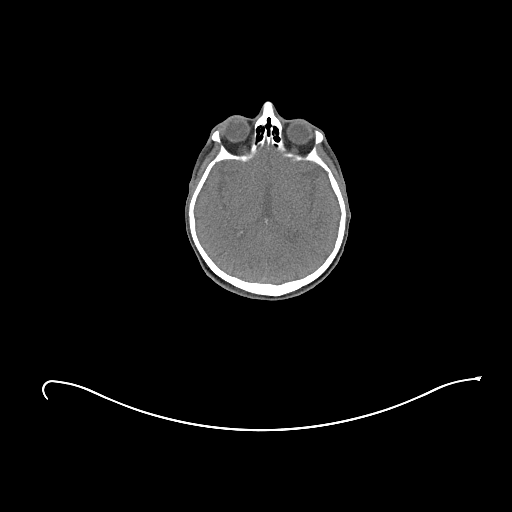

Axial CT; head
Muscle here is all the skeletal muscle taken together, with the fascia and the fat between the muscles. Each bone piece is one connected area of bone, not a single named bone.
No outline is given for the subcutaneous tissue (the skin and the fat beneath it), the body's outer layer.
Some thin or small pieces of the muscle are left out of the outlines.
The bones are outlined by (266, 101) (281, 121) (288, 151) (303, 155) (314, 145) (314, 131) (323, 134) (316, 151) (337, 182) (346, 212) (344, 236) (328, 267) (311, 282) (281, 295) (248, 292) (215, 274) (189, 229) (191, 197) (220, 148) (211, 134) (219, 130) (230, 152) (247, 152) (256, 116) with a hole at (265, 146) (273, 147) (276, 152) (281, 153) (285, 158) (293, 162) (308, 161) (321, 167) (326, 173) (339, 209) (333, 246) (323, 261) (307, 274) (280, 283) (251, 281) (228, 273) (206, 251) (198, 237) (196, 229) (196, 201) (212, 168) (218, 162) (226, 160) (246, 163). The head is outlined by (266, 101) (270, 101) (282, 117) (287, 119) (304, 118) (324, 132) (340, 164) (351, 210) (349, 235) (345, 248) (331, 273) (305, 293) (279, 301) (242, 297) (215, 283) (200, 266) (188, 241) (184, 225) (184, 204) (191, 172) (211, 128) (230, 115) (255, 117). The muscle appears in 2 outlined pieces: piece 1: (320, 143) (321, 143) (324, 150) (333, 162) (338, 172) (340, 180) (342, 183) (343, 190) (344, 191) (344, 196) (346, 202) (346, 210) (347, 213) (346, 211) (345, 201) (342, 195) (338, 182) (336, 180) (331, 169) (319, 155) (317, 151) (317, 145); piece 2: (214, 142) (216, 142) (219, 144) (219, 148) (218, 149) (218, 151) (216, 153) (214, 157) (205, 167) (198, 182) (195, 186) (195, 188) (190, 197) (190, 199) (190, 196) (191, 195) (191, 189) (193, 185) (193, 182) (197, 175) (197, 172) (203, 160) (211, 150). The brain is outlined by (265, 146) (273, 147) (276, 152) (281, 153) (285, 158) (293, 162) (308, 161) (321, 167) (326, 173) (339, 209) (333, 246) (323, 261) (307, 274) (280, 283) (251, 281) (228, 273) (206, 251) (198, 237) (196, 229) (196, 201) (212, 168) (218, 162) (226, 160) (246, 163).